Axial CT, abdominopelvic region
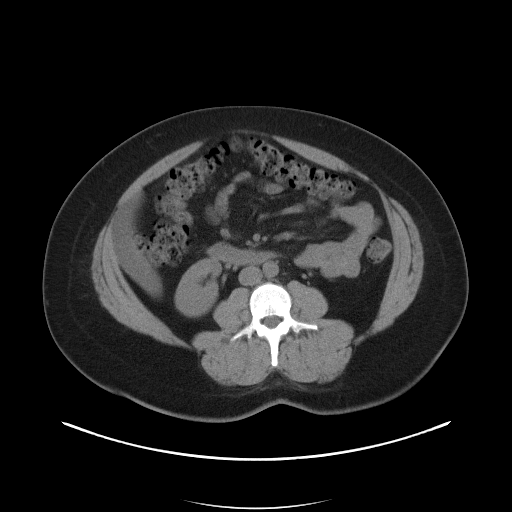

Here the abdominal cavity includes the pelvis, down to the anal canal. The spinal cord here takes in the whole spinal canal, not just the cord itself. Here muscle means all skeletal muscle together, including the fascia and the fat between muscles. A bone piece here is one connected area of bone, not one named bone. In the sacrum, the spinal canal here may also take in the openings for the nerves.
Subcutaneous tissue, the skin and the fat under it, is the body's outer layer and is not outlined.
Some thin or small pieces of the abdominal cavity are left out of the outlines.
{"torso":[[[222,105],[286,106],[344,119],[395,145],[439,190],[464,248],[467,305],[458,329],[434,365],[401,396],[338,415],[276,404],[235,421],[190,421],[106,391],[80,373],[55,344],[43,311],[42,269],[52,222],[70,190],[96,161],[141,129],[184,111]]],"spinal_cord":[[[270,316],[277,316],[278,317],[279,317],[281,319],[280,320],[280,321],[274,327],[268,327],[265,324],[264,324],[262,322],[262,321],[263,320],[263,319],[264,318],[265,318],[266,317],[269,317]]],"abdominal_cavity":[[[231,133],[271,138],[312,162],[357,176],[378,193],[393,257],[375,318],[361,333],[343,319],[324,317],[324,294],[293,279],[286,288],[265,281],[250,294],[235,287],[212,312],[220,329],[199,331],[188,342],[125,279],[112,233],[124,204],[204,144]]],"muscle":[{"outer":[[238,128],[241,128],[242,129],[253,129],[254,130],[267,132],[270,134],[279,135],[293,140],[306,143],[309,145],[327,151],[337,156],[358,170],[366,174],[387,195],[398,201],[408,211],[419,231],[420,239],[423,247],[424,264],[423,265],[422,278],[414,299],[409,306],[394,320],[393,323],[390,326],[378,332],[376,334],[366,338],[361,342],[353,350],[352,355],[343,372],[339,376],[330,382],[327,382],[323,384],[318,384],[315,382],[312,382],[311,383],[301,383],[296,381],[291,381],[282,375],[278,371],[274,371],[262,382],[258,384],[254,384],[253,385],[236,385],[235,386],[225,386],[224,385],[221,385],[213,380],[205,372],[200,365],[200,360],[193,351],[190,351],[182,347],[162,343],[154,339],[149,335],[146,335],[134,331],[132,329],[117,321],[101,304],[98,297],[98,294],[94,288],[94,284],[91,277],[91,269],[90,268],[92,261],[92,252],[100,230],[108,220],[115,207],[118,199],[128,186],[147,168],[167,154],[191,142],[202,139],[205,137],[211,136],[223,130],[231,130]],"hole":[[231,133],[271,138],[378,193],[393,257],[375,318],[361,333],[324,317],[324,294],[293,279],[290,314],[317,329],[283,335],[273,366],[264,337],[230,340],[251,321],[247,288],[235,287],[215,306],[220,329],[188,342],[125,279],[112,233],[124,204]]}],"bones":[{"outer":[[265,282],[279,284],[288,291],[291,297],[290,314],[294,319],[317,325],[315,330],[301,329],[297,333],[290,330],[283,335],[278,344],[276,366],[271,365],[270,346],[264,337],[254,332],[249,338],[244,334],[233,341],[230,340],[250,323],[251,292]],"hole":[[270,316],[277,316],[278,317],[279,317],[281,319],[280,320],[280,321],[274,327],[268,327],[265,324],[264,324],[262,322],[262,321],[263,320],[263,319],[264,318],[265,318],[266,317],[269,317]]}]}